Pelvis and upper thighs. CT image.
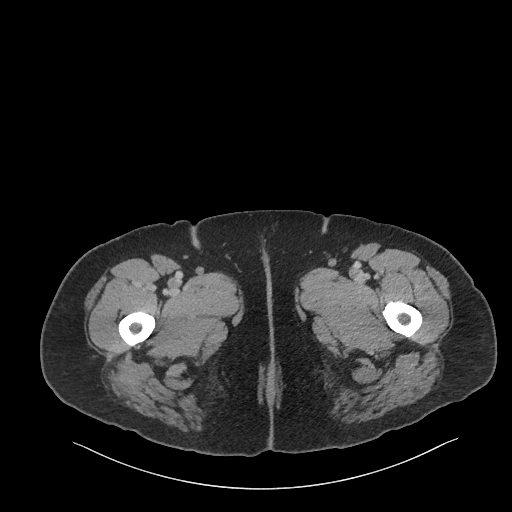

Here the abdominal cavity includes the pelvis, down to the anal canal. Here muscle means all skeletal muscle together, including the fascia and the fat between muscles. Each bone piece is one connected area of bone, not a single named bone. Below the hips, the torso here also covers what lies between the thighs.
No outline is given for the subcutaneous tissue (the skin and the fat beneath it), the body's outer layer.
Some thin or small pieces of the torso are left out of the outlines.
The muscle appears in 3 outlined pieces: piece 1: (365, 240) (392, 242) (416, 250) (447, 277) (453, 307) (453, 324) (439, 347) (444, 356) (444, 370) (435, 389) (414, 403) (397, 407) (380, 417) (358, 423) (341, 424) (328, 416) (332, 402) (325, 387) (320, 348) (295, 318) (293, 280) (299, 273) (343, 258) (353, 246); inner edge: (397, 300) (401, 300) (410, 305) (412, 305) (418, 310) (419, 310) (421, 313) (421, 315) (422, 316) (422, 322) (421, 323) (421, 325) (410, 337) (406, 337) (404, 335) (400, 333) (398, 333) (391, 329) (387, 324) (382, 314) (382, 311) (386, 303) (388, 301) (396, 301); piece 2: (136, 252) (155, 252) (194, 267) (221, 269) (236, 279) (242, 290) (245, 310) (238, 328) (221, 347) (222, 364) (210, 397) (205, 426) (198, 433) (179, 430) (114, 402) (107, 395) (100, 380) (99, 369) (102, 361) (87, 344) (83, 328) (84, 299) (87, 292) (107, 264); inner edge: (139, 310) (147, 312) (149, 314) (153, 315) (155, 319) (155, 326) (150, 335) (145, 340) (142, 342) (137, 343) (133, 346) (130, 346) (127, 343) (126, 343) (120, 336) (119, 332) (118, 331) (118, 323) (119, 321) (127, 314) (131, 312) (133, 312) (134, 311) (138, 311); piece 3: (278, 359) (280, 363) (281, 368) (282, 369) (281, 376) (284, 380) (284, 384) (285, 385) (284, 387) (284, 390) (281, 397) (281, 407) (276, 407) (272, 404) (269, 404) (268, 405) (261, 406) (258, 401) (258, 395) (257, 394) (258, 362) (260, 362) (261, 361) (273, 362), around a hole outlined by (270, 372) (273, 372) (273, 373) (275, 375) (275, 394) (274, 394) (272, 396) (270, 396) (269, 395) (269, 394) (268, 393) (268, 390) (267, 389) (266, 389) (267, 389) (268, 388) (267, 387) (267, 381) (268, 380) (268, 374) (269, 374) (270, 373). The torso is outlined by (255, 209) (304, 209) (326, 215) (329, 214) (322, 229) (319, 239) (315, 245) (311, 255) (305, 262) (304, 265) (296, 272) (288, 276) (285, 279) (266, 287) (264, 287) (250, 277) (248, 277) (209, 254) (200, 246) (197, 238) (197, 221) (217, 214). The right leg is outlined by (179, 219) (196, 222) (196, 238) (205, 252) (258, 283) (266, 291) (272, 322) (267, 380) (272, 416) (271, 450) (254, 456) (218, 456) (162, 445) (65, 404) (43, 377) (39, 354) (42, 325) (62, 279) (75, 261) (92, 247) (129, 230) (156, 222) (172, 223). The abdominal cavity is outlined by (270, 372) (273, 372) (273, 373) (275, 375) (275, 394) (274, 394) (272, 396) (270, 396) (269, 395) (269, 394) (268, 393) (268, 390) (267, 389) (266, 389) (267, 389) (268, 388) (267, 387) (267, 381) (268, 380) (268, 374) (269, 374) (270, 373). The left leg is outlined by (332, 213) (392, 223) (423, 234) (444, 246) (469, 273) (489, 304) (497, 339) (496, 367) (490, 380) (466, 398) (375, 439) (345, 448) (301, 453) (273, 451) (271, 403) (275, 387) (275, 358) (272, 354) (271, 307) (265, 288) (285, 280) (305, 265). The bones appear in 2 outlined pieces: piece 1: (397, 300) (401, 300) (410, 305) (412, 305) (418, 310) (419, 310) (421, 313) (421, 315) (422, 316) (422, 322) (421, 323) (421, 325) (410, 337) (406, 337) (404, 335) (400, 333) (398, 333) (391, 329) (387, 324) (382, 314) (382, 311) (386, 303) (388, 301) (396, 301); piece 2: (139, 310) (147, 312) (149, 314) (153, 315) (155, 319) (155, 326) (150, 335) (145, 340) (142, 342) (137, 343) (133, 346) (130, 346) (127, 343) (126, 343) (120, 336) (119, 332) (118, 331) (118, 323) (119, 321) (127, 314) (131, 312) (133, 312) (134, 311) (138, 311).